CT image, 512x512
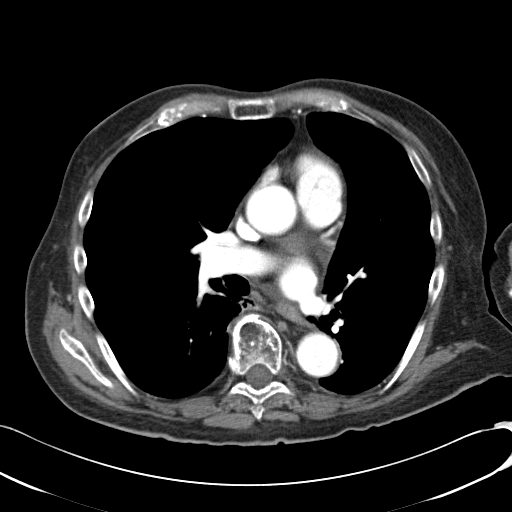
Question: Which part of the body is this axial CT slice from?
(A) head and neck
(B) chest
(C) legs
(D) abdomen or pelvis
Answer: (B) chest
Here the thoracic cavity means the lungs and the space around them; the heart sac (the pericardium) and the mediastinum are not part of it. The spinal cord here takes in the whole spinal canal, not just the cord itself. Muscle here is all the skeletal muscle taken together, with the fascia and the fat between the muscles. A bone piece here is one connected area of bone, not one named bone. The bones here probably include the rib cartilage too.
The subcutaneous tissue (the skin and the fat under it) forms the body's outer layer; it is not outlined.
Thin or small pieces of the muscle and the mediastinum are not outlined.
{"bones":[[[296,91],[342,98],[352,108],[373,119],[378,126],[342,112],[293,103],[271,117],[260,119],[234,119],[227,112],[196,113],[151,131],[122,149],[125,141],[135,131],[155,119],[164,108],[182,102],[212,101],[218,96],[223,96],[225,99],[248,98]],{"outer":[[248,313],[260,314],[277,331],[287,365],[277,377],[294,393],[291,395],[277,392],[265,399],[261,404],[264,410],[260,419],[252,413],[254,404],[247,396],[227,393],[231,386],[228,383],[230,374],[227,367],[227,358],[232,354],[230,333],[236,320]],"hole":[[257,364],[260,364],[261,365],[263,365],[269,371],[269,372],[272,376],[272,379],[267,384],[266,384],[262,387],[259,387],[258,388],[257,388],[256,387],[254,387],[246,380],[246,375],[247,374],[248,371],[254,365],[256,365]]},[[62,328],[63,328],[71,336],[79,340],[82,343],[87,352],[89,354],[90,357],[92,359],[92,361],[95,366],[112,383],[113,385],[113,387],[112,388],[108,387],[100,382],[80,360],[75,358],[63,347],[59,338],[59,333],[60,332],[60,330]],[[420,320],[425,320],[425,326],[424,327],[421,338],[414,352],[412,354],[407,364],[395,381],[384,392],[380,393],[379,391],[383,387],[386,382],[392,376],[393,372],[397,366],[398,363],[400,361],[407,347],[407,345],[410,340],[410,338],[418,322]],[[99,331],[101,332],[105,338],[113,354],[115,356],[119,365],[125,373],[127,378],[131,382],[132,386],[137,392],[137,395],[134,395],[127,389],[127,388],[114,374],[106,362],[98,345],[98,343],[96,340],[96,337],[95,336],[96,333]],[[405,144],[407,144],[413,149],[414,149],[414,150],[420,158],[423,165],[425,167],[425,168],[428,173],[429,178],[431,181],[431,185],[429,187],[426,188],[418,177],[418,176],[410,161],[410,159],[406,152],[406,150],[404,148],[404,146],[405,145]],[[438,264],[442,264],[444,267],[444,275],[443,276],[443,281],[442,282],[442,284],[441,285],[440,290],[433,304],[431,305],[428,301],[428,289],[429,288],[429,283],[430,282],[430,279],[432,275],[432,272],[433,271],[433,269],[434,267]],[[80,284],[85,284],[86,285],[86,286],[91,295],[91,297],[93,300],[93,304],[94,305],[94,309],[93,310],[93,319],[92,320],[90,320],[86,316],[86,315],[85,314],[85,313],[80,304],[80,302],[79,301],[79,299],[78,298],[78,286]],[[90,188],[94,190],[94,192],[93,193],[93,200],[92,201],[92,205],[91,206],[91,210],[90,211],[90,214],[87,220],[87,222],[85,224],[84,227],[81,227],[78,221],[78,213],[79,212],[80,205],[82,202],[83,197],[86,191]],[[77,243],[82,244],[83,246],[83,248],[84,249],[84,251],[85,252],[85,256],[86,257],[86,266],[85,267],[84,272],[81,274],[78,274],[77,273],[75,269],[75,266],[74,265],[74,260],[73,259],[73,252],[74,251],[74,247]],[[433,211],[437,211],[438,212],[440,216],[440,220],[441,221],[441,230],[442,231],[442,234],[441,235],[441,239],[440,240],[440,242],[439,244],[437,245],[436,245],[434,243],[434,241],[431,236],[431,233],[430,232],[430,220],[431,219],[431,213]]],"left_arm":[[[510,222],[511,222],[511,324],[509,324],[504,319],[504,318],[499,312],[496,306],[496,304],[494,300],[494,297],[490,287],[490,283],[489,282],[489,274],[488,273],[490,263],[495,256],[495,253],[493,248],[494,242],[498,235],[502,231],[505,226]]],"muscle":[{"outer":[[306,87],[341,91],[381,111],[412,131],[427,148],[455,209],[441,200],[447,281],[433,338],[443,344],[474,339],[487,348],[459,353],[403,397],[383,406],[325,419],[260,420],[243,429],[110,409],[78,393],[52,357],[42,332],[49,282],[64,294],[70,290],[67,245],[76,206],[91,173],[126,133],[165,102],[190,92],[248,97],[218,95],[164,107],[124,141],[95,189],[88,188],[79,205],[77,221],[83,236],[82,243],[73,247],[72,259],[76,273],[84,273],[85,283],[77,286],[77,298],[85,316],[94,319],[99,329],[95,340],[110,370],[134,396],[138,392],[132,383],[167,399],[196,394],[227,370],[230,386],[226,393],[247,397],[257,420],[265,410],[265,400],[277,393],[295,393],[278,377],[286,366],[302,379],[342,395],[372,388],[392,372],[378,391],[382,394],[399,377],[422,338],[426,320],[420,318],[427,300],[434,304],[444,281],[444,265],[435,265],[435,245],[440,244],[443,231],[441,216],[431,211],[426,189],[432,181],[414,148],[403,146],[344,98],[305,90],[264,95]],"hole":[[62,328],[63,328],[71,336],[79,340],[82,343],[87,352],[89,354],[90,357],[92,359],[92,361],[95,366],[112,383],[113,385],[113,387],[112,388],[108,387],[100,382],[80,360],[75,358],[63,347],[59,338],[59,333],[60,332],[60,330]]}],"pericardium":[[[303,145],[313,146],[335,162],[339,167],[345,182],[345,212],[334,249],[319,288],[312,297],[305,301],[298,302],[280,295],[274,287],[264,283],[254,276],[236,244],[234,224],[238,213],[242,209],[244,201],[256,186],[256,183],[262,174],[291,150]]],"mediastinum":[[[295,107],[320,109],[305,116],[319,149],[293,148],[261,174],[233,237],[253,276],[290,301],[312,298],[324,277],[307,320],[336,340],[341,363],[315,382],[288,366],[278,331],[260,313],[238,317],[248,283],[227,233],[243,196],[294,133],[274,116]]],"spinal_cord":[[[257,364],[260,364],[261,365],[263,365],[269,371],[269,372],[272,376],[272,379],[267,384],[266,384],[262,387],[259,387],[258,388],[257,388],[256,387],[254,387],[246,380],[246,375],[247,374],[248,371],[254,365],[256,365]]],"torso":[[[313,77],[352,80],[405,96],[435,115],[461,145],[485,208],[484,285],[489,311],[511,330],[511,377],[492,377],[385,425],[291,444],[178,443],[73,412],[50,390],[30,355],[24,291],[30,260],[78,143],[121,106],[164,86],[209,83],[267,90]]],"thoracic_cavity":[[[203,113],[234,120],[281,117],[291,123],[293,133],[261,168],[227,226],[229,253],[236,273],[247,283],[249,301],[229,333],[227,369],[196,393],[167,398],[141,389],[128,378],[96,323],[94,300],[85,279],[84,228],[98,183],[123,149],[151,132]],[[318,110],[367,122],[397,141],[426,190],[431,212],[434,266],[419,320],[394,369],[376,385],[353,394],[338,393],[315,383],[332,375],[342,363],[337,340],[309,321],[308,316],[318,305],[348,203],[340,164],[316,146],[307,127],[307,114]]]}